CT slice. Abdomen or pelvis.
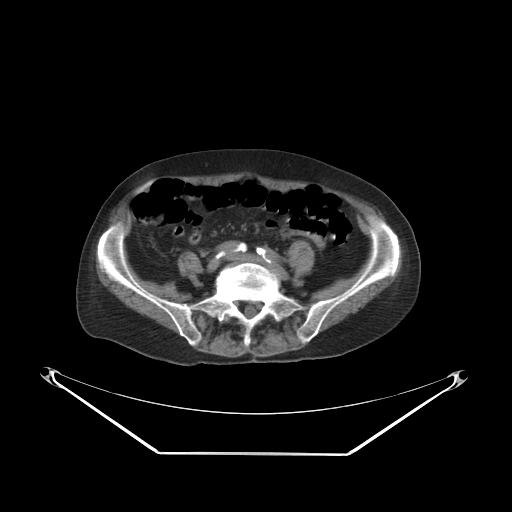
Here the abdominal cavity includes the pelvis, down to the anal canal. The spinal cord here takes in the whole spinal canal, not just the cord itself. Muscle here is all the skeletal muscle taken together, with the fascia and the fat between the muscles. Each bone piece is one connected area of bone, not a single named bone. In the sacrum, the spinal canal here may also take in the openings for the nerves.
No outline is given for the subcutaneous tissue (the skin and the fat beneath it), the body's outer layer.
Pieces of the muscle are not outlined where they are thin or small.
{"spinal_cord":[[[234,301],[260,301],[261,302],[262,302],[263,303],[263,305],[260,308],[260,310],[259,311],[259,312],[254,317],[252,317],[251,318],[250,318],[249,317],[247,317],[241,311],[240,311],[236,307],[236,306],[233,303],[233,302]]],"torso":[[[224,147],[276,148],[310,155],[350,171],[386,193],[409,221],[421,258],[419,293],[406,318],[386,335],[351,352],[295,362],[182,366],[156,360],[112,341],[88,335],[76,314],[76,276],[83,242],[105,199],[125,177],[147,163],[178,153]]],"muscle":[[[242,171],[255,172],[273,179],[312,180],[320,182],[361,198],[375,206],[389,223],[373,214],[366,216],[371,244],[369,257],[363,271],[341,293],[315,301],[307,308],[304,319],[296,330],[297,338],[302,344],[306,345],[297,350],[270,356],[255,356],[246,353],[237,357],[226,357],[198,351],[192,347],[201,341],[202,333],[195,322],[194,312],[202,312],[215,318],[219,322],[229,318],[236,319],[244,327],[242,341],[248,347],[251,344],[251,332],[261,321],[270,317],[276,322],[280,322],[296,312],[303,311],[306,308],[305,305],[295,298],[307,300],[314,291],[339,278],[348,278],[353,275],[368,256],[370,240],[361,231],[357,223],[355,209],[339,194],[327,190],[318,183],[308,183],[303,187],[294,187],[287,190],[275,189],[266,186],[252,175],[245,175],[243,178],[216,185],[197,184],[178,177],[157,177],[142,191],[136,193],[128,202],[128,207],[131,211],[132,228],[126,237],[124,237],[124,225],[120,221],[111,224],[102,232],[112,209],[126,194],[148,177],[155,175],[208,174]],[[97,239],[96,259],[99,269],[110,280],[130,289],[136,294],[151,302],[164,311],[171,319],[178,334],[187,343],[182,341],[172,331],[157,323],[153,319],[145,315],[142,315],[126,306],[100,282],[95,271],[94,265],[95,262],[92,257],[94,245]],[[399,238],[401,240],[404,252],[403,253],[403,261],[401,271],[397,279],[363,307],[360,308],[357,312],[349,314],[340,322],[329,327],[315,337],[319,333],[321,326],[327,316],[339,304],[365,287],[379,280],[388,277],[393,277],[396,274],[401,255]],[[125,248],[128,261],[132,266],[134,271],[143,280],[147,279],[153,282],[160,282],[161,283],[171,281],[175,282],[176,288],[179,291],[193,294],[194,299],[199,300],[191,303],[177,302],[156,295],[145,289],[134,278],[129,269],[125,255]],[[297,240],[303,240],[307,242],[311,246],[314,252],[314,262],[313,263],[313,269],[312,270],[312,272],[308,276],[306,277],[297,277],[293,273],[292,271],[292,269],[288,262],[288,259],[287,258],[287,252],[288,251],[288,247],[294,241],[296,241]],[[188,250],[189,251],[193,251],[196,254],[196,255],[201,261],[201,263],[203,267],[203,275],[201,275],[198,273],[193,273],[187,276],[182,276],[179,272],[177,268],[177,260],[179,256],[183,252],[185,251],[187,251]]],"abdominal_cavity":[{"outer":[[245,176],[281,191],[318,184],[343,198],[369,240],[359,268],[314,290],[307,299],[283,293],[276,273],[253,261],[224,266],[215,277],[214,292],[201,299],[179,290],[175,281],[143,279],[129,261],[124,242],[133,228],[132,198],[157,178],[216,186]],"hole":[[297,240],[303,240],[307,242],[311,246],[314,252],[314,262],[313,263],[313,269],[312,270],[312,272],[308,276],[306,277],[297,277],[293,273],[292,271],[292,269],[288,262],[288,259],[287,258],[287,252],[288,251],[288,247],[294,241],[296,241]]}],"bones":[{"outer":[[118,222],[130,273],[156,296],[194,303],[215,292],[224,267],[253,262],[275,273],[279,290],[305,308],[280,321],[270,316],[261,320],[251,330],[248,346],[245,327],[236,318],[219,321],[194,311],[201,339],[191,346],[164,310],[100,269],[98,239]],"hole":[[234,301],[260,301],[261,302],[262,302],[263,303],[263,305],[260,308],[260,310],[259,311],[259,312],[254,317],[252,317],[251,318],[250,318],[249,317],[247,317],[241,311],[240,311],[236,307],[236,306],[233,303],[233,302]]},[[369,215],[376,216],[386,222],[398,237],[400,255],[395,274],[365,286],[339,303],[326,316],[318,333],[307,343],[302,343],[297,336],[297,330],[304,321],[308,308],[315,302],[341,294],[348,289],[364,271],[370,257],[372,244],[370,225],[366,218]]]}